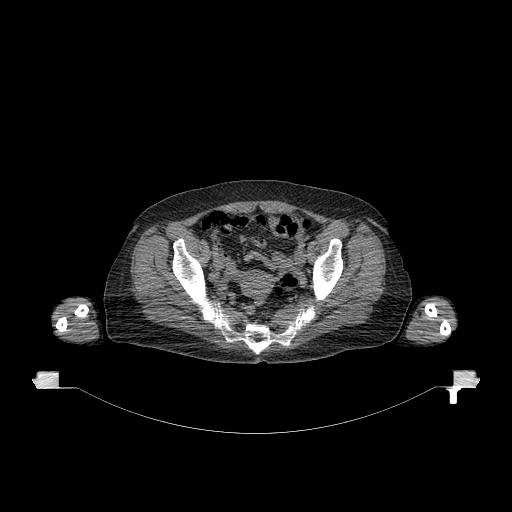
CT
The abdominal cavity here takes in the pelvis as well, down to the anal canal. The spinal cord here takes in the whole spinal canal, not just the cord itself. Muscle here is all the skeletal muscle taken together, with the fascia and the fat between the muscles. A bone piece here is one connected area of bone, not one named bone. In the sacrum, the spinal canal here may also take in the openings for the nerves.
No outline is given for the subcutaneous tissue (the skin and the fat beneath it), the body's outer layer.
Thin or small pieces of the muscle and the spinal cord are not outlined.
Outlines (x, y in pixels):
spinal cord: [[273,324],[275,324],[276,325],[277,325],[278,326],[280,326],[282,328],[282,330],[280,332],[275,332],[274,331],[273,331],[271,329],[271,326]]
left arm: [[425,294],[440,294],[448,297],[453,302],[456,308],[456,311],[458,316],[458,326],[451,333],[451,335],[446,341],[437,345],[434,345],[429,347],[400,347],[397,345],[397,339],[403,329],[402,327],[403,324],[407,318],[407,316],[414,302],[419,297]]
torso: [[241,179],[279,179],[342,191],[365,200],[384,216],[389,234],[410,276],[412,288],[404,321],[394,339],[377,347],[348,350],[305,362],[242,364],[206,361],[151,347],[118,343],[109,338],[103,305],[105,282],[135,218],[150,205],[170,195]]
abdominal cavity: [[257,207],[268,213],[298,211],[323,226],[306,245],[305,258],[312,265],[311,293],[297,304],[280,309],[274,315],[271,325],[248,320],[243,313],[221,305],[208,293],[204,269],[210,252],[206,242],[196,236],[189,227],[212,210],[236,213],[251,212]]
right arm: [[77,294],[88,296],[97,304],[99,311],[99,319],[103,331],[103,342],[99,345],[84,346],[83,345],[74,345],[73,344],[65,343],[59,340],[54,336],[51,331],[52,328],[50,323],[50,315],[53,306],[59,300],[65,297],[71,295],[76,295]]
bones 1: [[179,238],[202,267],[208,297],[220,303],[236,331],[242,330],[247,320],[268,324],[273,332],[280,333],[301,309],[311,304],[315,317],[297,331],[288,346],[272,342],[255,354],[242,340],[227,342],[219,329],[203,319],[198,306],[173,273],[172,244]]
bones 2: [[333,238],[338,238],[340,239],[342,242],[341,254],[344,263],[343,269],[340,277],[336,282],[332,290],[323,300],[317,301],[315,300],[315,297],[312,288],[312,267],[313,266],[313,263],[318,255],[322,254],[327,250],[329,245],[329,242],[330,240]]
bones 3: [[443,319],[447,319],[448,320],[448,321],[449,322],[449,324],[451,327],[451,332],[449,334],[449,335],[448,335],[447,336],[445,336],[444,335],[442,335],[441,334],[440,334],[440,333],[439,332],[439,328],[440,327],[440,324],[441,323],[441,322]]
bones 4: [[431,302],[433,302],[434,303],[435,303],[435,306],[436,307],[436,309],[437,310],[437,315],[435,317],[432,317],[431,318],[429,318],[428,317],[428,316],[426,314],[424,308],[425,307],[425,305],[427,303],[430,303]]
bones 5: [[81,303],[83,303],[84,304],[86,304],[87,305],[87,306],[88,307],[88,312],[87,313],[87,315],[85,317],[79,317],[78,316],[77,316],[74,313],[74,310],[77,307],[77,306],[78,305],[78,304],[80,304]]
bones 6: [[61,316],[66,316],[66,318],[67,319],[67,326],[66,327],[66,330],[65,331],[64,331],[63,332],[61,332],[60,331],[59,331],[56,328],[56,327],[55,326],[55,324],[56,323],[56,322],[57,321],[57,320]]
muscle 1: [[255,200],[283,201],[335,219],[360,219],[370,227],[382,243],[386,272],[384,292],[365,322],[332,330],[292,349],[260,354],[272,343],[290,345],[298,331],[316,317],[315,305],[301,308],[283,329],[273,323],[275,315],[304,301],[312,290],[314,300],[323,301],[341,277],[345,263],[343,242],[338,237],[329,240],[326,250],[312,264],[307,260],[307,245],[324,228],[311,216],[298,210],[268,212],[258,206],[251,211],[236,212],[212,209],[188,227],[207,246],[209,256],[203,269],[182,237],[171,244],[172,273],[202,319],[219,330],[227,343],[242,341],[254,354],[214,348],[193,334],[156,324],[143,316],[130,290],[131,254],[140,235],[156,223],[181,220],[231,202]]
muscle 2: [[431,297],[437,297],[448,302],[453,311],[455,318],[455,324],[453,328],[452,329],[449,320],[447,318],[443,318],[438,328],[439,334],[444,336],[442,339],[427,343],[418,343],[413,340],[407,339],[405,336],[406,329],[413,317],[415,310],[423,300]], around a hole outlined by [[431,302],[433,302],[434,303],[435,303],[435,306],[436,307],[436,309],[437,310],[437,315],[435,317],[432,317],[431,318],[429,318],[428,317],[428,316],[426,314],[424,308],[425,307],[425,305],[427,303],[430,303]]
muscle 3: [[74,298],[83,298],[90,302],[94,311],[94,319],[99,331],[99,335],[96,339],[80,342],[73,341],[62,337],[56,332],[56,329],[61,333],[63,333],[67,330],[68,319],[66,315],[61,315],[54,323],[53,317],[55,310],[60,304],[69,299]] with a hole at [[81,303],[83,303],[84,304],[86,304],[87,305],[87,306],[88,307],[88,312],[87,313],[87,315],[85,317],[79,317],[78,316],[77,316],[74,313],[74,310],[77,307],[77,306],[78,305],[78,304],[80,304]]
muscle 4: [[222,306],[223,306],[226,308],[231,308],[236,312],[237,312],[238,313],[240,313],[241,314],[243,314],[247,318],[245,324],[244,324],[242,322],[238,322],[234,325],[232,323],[231,320],[229,318],[229,316],[223,311],[223,308],[222,307]]